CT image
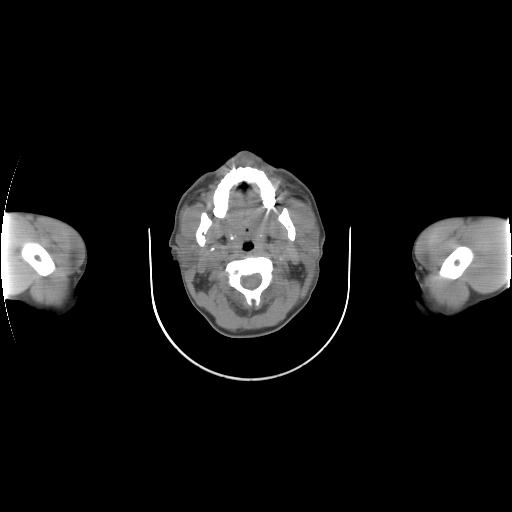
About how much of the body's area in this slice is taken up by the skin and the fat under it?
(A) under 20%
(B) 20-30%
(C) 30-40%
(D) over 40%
Answer: (A) under 20%
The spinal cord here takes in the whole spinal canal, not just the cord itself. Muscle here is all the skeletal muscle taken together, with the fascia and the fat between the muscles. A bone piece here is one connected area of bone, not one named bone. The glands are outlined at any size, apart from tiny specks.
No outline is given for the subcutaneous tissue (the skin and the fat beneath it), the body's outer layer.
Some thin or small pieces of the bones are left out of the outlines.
The head and neck is outlined by (242, 149) (260, 155) (276, 167) (291, 171) (310, 189) (324, 225) (327, 244) (323, 248) (319, 261) (319, 276) (311, 297) (287, 324) (263, 336) (231, 338) (215, 331) (189, 301) (179, 266) (171, 257) (168, 240) (173, 228) (175, 209) (184, 191) (200, 175) (217, 168) with a hole at (247, 242) (251, 242) (251, 243) (252, 244) (252, 247) (251, 248) (250, 248) (249, 249) (244, 249) (244, 247) (243, 246) (244, 245) (244, 244) (245, 243) (246, 243). The parotid glands appear in 2 outlined pieces: piece 1: (178, 232) (179, 232) (190, 243) (192, 244) (194, 248) (194, 250) (195, 251) (196, 261) (194, 263) (193, 263) (187, 269) (185, 269) (185, 268) (182, 265) (182, 259) (181, 258) (180, 248) (179, 247) (179, 245) (177, 243) (176, 243) (175, 241) (175, 238); piece 2: (316, 223) (317, 223) (317, 225) (319, 228) (319, 251) (318, 252) (318, 254) (317, 255) (317, 257) (316, 259) (314, 260) (314, 259) (310, 255) (309, 255) (308, 253) (305, 252) (302, 249) (301, 244) (303, 243) (306, 240) (306, 239) (313, 232) (315, 228). The muscle appears in 3 outlined pieces: piece 1: (243, 160) (255, 162) (279, 174) (290, 183) (301, 189) (309, 198) (312, 210) (316, 217) (316, 222) (312, 232) (300, 244) (300, 246) (301, 249) (315, 261) (315, 269) (313, 278) (305, 296) (280, 322) (273, 326) (260, 329) (230, 331) (216, 324) (214, 318) (198, 305) (191, 295) (186, 281) (186, 270) (197, 261) (197, 256) (193, 244) (178, 230) (178, 227) (180, 225) (180, 211) (184, 204) (190, 201) (193, 194) (212, 180) (216, 174) (230, 165), around holes outlined by (233, 165) (260, 169) (276, 186) (277, 200) (275, 207) (280, 212) (283, 207) (288, 209) (296, 231) (294, 240) (291, 241) (288, 238) (287, 230) (278, 218) (263, 206) (259, 190) (255, 185) (241, 183) (233, 186) (230, 189) (225, 215) (218, 217) (214, 214) (214, 191) and by (247, 256) (265, 256) (268, 257) (271, 260) (273, 265) (272, 279) (271, 282) (269, 285) (261, 292) (260, 294) (260, 301) (258, 306) (254, 304) (252, 305) (248, 305) (244, 295) (241, 292) (229, 285) (228, 283) (228, 275) (224, 270) (228, 262) (235, 259) (242, 259) and by (203, 211) (206, 212) (208, 216) (211, 219) (211, 221) (212, 222) (211, 223) (211, 225) (208, 228) (207, 231) (204, 235) (205, 237) (205, 243) (203, 246) (200, 246) (196, 241) (196, 239) (195, 238) (195, 232) (200, 221) (200, 216) (201, 215) (201, 213) and by (247, 242) (251, 242) (251, 243) (252, 244) (252, 247) (251, 248) (250, 248) (249, 249) (244, 249) (244, 247) (243, 246) (244, 245) (244, 244) (245, 243) (246, 243); piece 2: (503, 217) (504, 219) (507, 219) (511, 234) (511, 273) (507, 285) (490, 293) (478, 293) (470, 297) (460, 308) (455, 310) (435, 307) (426, 297) (426, 292) (423, 288) (424, 271) (420, 268) (420, 263) (415, 255) (417, 242) (423, 233) (431, 226) (450, 219) (497, 219) with a hole at (459, 245) (464, 245) (465, 246) (467, 246) (472, 250) (473, 252) (473, 258) (471, 262) (464, 270) (462, 274) (459, 277) (455, 279) (447, 279) (446, 278) (441, 278) (439, 277) (438, 276) (438, 272) (439, 271) (439, 269) (441, 266) (442, 262) (444, 259) (457, 246); piece 3: (15, 211) (18, 214) (53, 219) (66, 225) (74, 232) (82, 245) (84, 252) (83, 262) (79, 267) (79, 271) (71, 277) (68, 296) (59, 306) (39, 303) (23, 295) (10, 296) (12, 294) (8, 293) (8, 289) (3, 286) (3, 280) (0, 275) (0, 234) (4, 213); inner edge: (27, 240) (31, 240) (32, 241) (35, 241) (36, 242) (38, 242) (40, 243) (47, 250) (47, 251) (51, 256) (55, 264) (55, 270) (52, 273) (46, 276) (41, 276) (39, 275) (37, 273) (37, 272) (26, 261) (25, 261) (21, 257) (20, 255) (20, 247). The spinal cord is outlined by (253, 274) (259, 274) (260, 275) (260, 277) (261, 278) (260, 283) (255, 288) (254, 288) (253, 289) (249, 289) (248, 288) (246, 288) (245, 287) (244, 287) (241, 284) (241, 283) (240, 282) (240, 279) (241, 278) (241, 277) (242, 276) (249, 276) (250, 275) (252, 275). The left arm is outlined by (475, 213) (497, 214) (507, 219) (511, 234) (511, 273) (507, 282) (507, 290) (495, 297) (480, 302) (452, 318) (427, 321) (418, 317) (412, 309) (412, 298) (418, 294) (418, 284) (413, 273) (414, 265) (411, 258) (411, 249) (416, 236) (426, 225) (440, 218) (458, 214). The right arm is outlined by (20, 210) (37, 212) (64, 220) (80, 233) (85, 242) (88, 255) (87, 265) (77, 285) (82, 306) (77, 313) (70, 317) (54, 316) (34, 309) (21, 301) (12, 300) (9, 298) (12, 294) (8, 293) (8, 289) (3, 286) (3, 280) (0, 275) (0, 234) (4, 213). The bones appear in 5 outlined pieces: piece 1: (233, 165) (260, 169) (276, 186) (277, 200) (275, 207) (280, 212) (283, 207) (288, 209) (296, 231) (294, 240) (291, 241) (288, 238) (287, 230) (278, 218) (263, 206) (259, 190) (255, 185) (241, 183) (233, 186) (230, 189) (225, 215) (218, 217) (214, 214) (214, 191); piece 2: (247, 256) (265, 256) (268, 257) (271, 260) (273, 265) (272, 279) (271, 282) (269, 285) (261, 292) (260, 294) (260, 301) (258, 306) (254, 304) (252, 305) (248, 305) (244, 295) (241, 292) (229, 285) (228, 283) (228, 275) (224, 270) (228, 262) (235, 259) (242, 259); inner edge: (253, 274) (259, 274) (260, 275) (260, 277) (261, 278) (260, 283) (255, 288) (254, 288) (253, 289) (249, 289) (248, 288) (246, 288) (245, 287) (244, 287) (241, 284) (241, 283) (240, 282) (240, 279) (241, 278) (241, 277) (242, 276) (249, 276) (250, 275) (252, 275); piece 3: (27, 240) (31, 240) (32, 241) (35, 241) (36, 242) (38, 242) (40, 243) (47, 250) (47, 251) (51, 256) (55, 264) (55, 270) (52, 273) (46, 276) (41, 276) (39, 275) (37, 273) (37, 272) (26, 261) (25, 261) (21, 257) (20, 255) (20, 247); piece 4: (459, 245) (464, 245) (465, 246) (467, 246) (472, 250) (473, 252) (473, 258) (471, 262) (464, 270) (462, 274) (459, 277) (455, 279) (447, 279) (446, 278) (441, 278) (439, 277) (438, 276) (438, 272) (439, 271) (439, 269) (441, 266) (442, 262) (444, 259) (457, 246); piece 5: (203, 211) (206, 212) (208, 216) (211, 219) (211, 221) (212, 222) (211, 223) (211, 225) (208, 228) (207, 231) (204, 235) (205, 237) (205, 243) (203, 246) (200, 246) (196, 241) (196, 239) (195, 238) (195, 232) (200, 221) (200, 216) (201, 215) (201, 213).